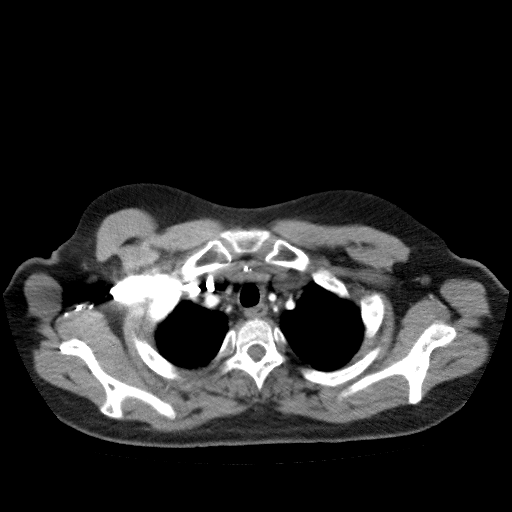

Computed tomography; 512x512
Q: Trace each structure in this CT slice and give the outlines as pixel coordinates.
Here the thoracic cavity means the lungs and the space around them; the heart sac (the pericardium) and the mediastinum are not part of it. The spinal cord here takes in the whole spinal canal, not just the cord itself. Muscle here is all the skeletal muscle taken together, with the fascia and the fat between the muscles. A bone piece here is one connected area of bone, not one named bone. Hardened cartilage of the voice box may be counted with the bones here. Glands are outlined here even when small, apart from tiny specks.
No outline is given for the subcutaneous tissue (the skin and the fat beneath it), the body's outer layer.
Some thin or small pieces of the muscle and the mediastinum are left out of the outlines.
A: Outlines (x, y in pixels):
bones 1: [[252,227],[267,229],[270,231],[272,238],[283,239],[302,250],[310,262],[306,270],[299,271],[266,263],[264,257],[268,248],[264,245],[254,253],[234,253],[231,265],[217,271],[187,277],[184,277],[179,271],[189,256],[203,247],[219,232],[226,229]]
bones 2: [[254,318],[263,319],[273,325],[277,325],[288,344],[283,351],[286,356],[286,360],[280,365],[274,367],[269,372],[260,390],[257,388],[253,378],[245,371],[236,368],[222,374],[219,368],[219,364],[211,362],[218,352],[229,329],[240,326],[246,320]]; inner edge: [[256,344],[257,344],[258,345],[260,345],[262,347],[263,347],[263,348],[265,351],[265,352],[264,353],[264,354],[261,357],[261,358],[258,360],[254,360],[249,355],[249,354],[248,353],[248,349],[251,346],[252,346],[253,345],[255,345]]
bones 3: [[436,320],[440,320],[452,326],[456,331],[456,335],[445,346],[438,346],[431,351],[429,365],[421,385],[422,398],[420,401],[415,404],[408,403],[408,383],[402,375],[398,374],[383,378],[351,395],[338,399],[338,394],[353,382],[403,358],[422,332]]
bones 4: [[73,337],[84,341],[91,348],[100,366],[109,375],[122,382],[151,392],[169,403],[176,413],[175,417],[170,419],[141,400],[130,397],[122,402],[122,418],[116,419],[102,413],[99,407],[106,398],[106,393],[102,384],[80,357],[60,352],[59,344]]
bones 5: [[376,346],[380,346],[381,348],[377,357],[368,367],[358,376],[344,383],[335,386],[322,385],[305,379],[302,376],[300,372],[300,368],[301,367],[308,367],[325,372],[329,372],[330,371],[340,369],[345,366],[348,366],[354,363],[360,359],[371,349]]
bones 6: [[132,332],[134,332],[134,333],[140,338],[144,339],[151,346],[155,348],[164,358],[178,367],[179,368],[179,373],[181,377],[179,379],[170,380],[169,379],[164,378],[153,371],[142,360],[138,354],[137,350],[135,348],[134,344],[131,339]]
bones 7: [[373,292],[378,292],[380,293],[383,299],[384,302],[383,318],[381,324],[374,336],[370,338],[367,342],[361,347],[361,344],[364,336],[364,325],[361,318],[361,313],[360,312],[360,307],[359,306],[360,305],[360,300],[364,295],[367,295]]
bones 8: [[172,292],[179,292],[181,294],[180,299],[173,308],[173,309],[166,316],[166,317],[156,326],[154,330],[152,330],[150,327],[150,322],[148,320],[148,311],[154,302],[157,300],[158,298],[161,298],[164,296],[167,296],[168,294],[170,294]]
bones 9: [[319,268],[324,268],[325,269],[327,269],[333,275],[341,280],[344,283],[346,288],[348,290],[348,292],[350,295],[350,298],[342,298],[341,297],[339,297],[336,294],[325,289],[320,285],[317,284],[312,279],[312,277],[311,276],[311,272]]
muscle 1: [[128,207],[142,208],[166,224],[201,217],[248,224],[296,218],[358,223],[392,234],[410,248],[408,259],[396,263],[391,274],[395,311],[402,316],[412,303],[437,295],[446,279],[478,281],[491,313],[487,355],[475,370],[435,385],[423,398],[432,351],[457,335],[452,325],[436,319],[403,357],[337,394],[341,400],[402,376],[408,404],[367,418],[333,423],[256,403],[180,431],[120,420],[129,398],[170,420],[177,414],[173,406],[109,374],[92,348],[74,336],[57,346],[61,354],[80,358],[101,384],[105,398],[98,409],[40,377],[33,366],[35,326],[24,282],[33,273],[48,274],[61,286],[66,306],[96,306],[106,300],[111,284],[95,259],[95,233],[107,215]]; inner edge: [[252,227],[269,230],[272,238],[307,255],[309,266],[299,272],[306,282],[324,268],[344,283],[357,306],[364,295],[381,294],[378,330],[345,365],[380,346],[358,376],[335,386],[307,380],[300,368],[310,364],[288,345],[286,360],[260,390],[245,371],[222,374],[218,363],[180,367],[181,377],[170,380],[142,360],[132,332],[155,348],[151,306],[172,292],[185,297],[202,277],[184,277],[179,271],[185,260],[223,230]]
muscle 2: [[264,246],[267,248],[267,251],[263,257],[263,260],[264,262],[261,262],[256,258],[248,255],[242,256],[240,257],[237,260],[237,261],[232,262],[233,261],[234,254],[236,254],[237,255],[242,255],[243,254],[254,254],[255,253],[257,253]]
thyroid glands 1: [[255,271],[260,271],[261,272],[266,272],[267,273],[270,274],[270,277],[268,279],[268,281],[266,283],[266,285],[265,286],[265,288],[264,289],[264,290],[263,290],[263,286],[261,284],[261,283],[258,280],[257,277],[255,275]]
thyroid glands 2: [[243,272],[246,272],[244,274],[244,276],[243,277],[243,279],[242,280],[242,282],[241,283],[240,283],[239,284],[239,285],[238,286],[237,286],[235,284],[235,280],[236,279],[236,276],[238,274],[239,274],[240,273],[242,273]]
spinal cord: [[256,344],[257,344],[258,345],[260,345],[262,347],[263,347],[263,348],[265,351],[265,352],[264,353],[264,354],[261,357],[261,358],[258,360],[254,360],[249,355],[249,354],[248,353],[248,349],[251,346],[252,346],[253,345],[255,345]]
thoracic cavity 1: [[311,280],[317,285],[336,295],[339,298],[349,299],[358,306],[360,318],[363,325],[363,336],[357,351],[344,366],[329,371],[313,368],[311,367],[309,363],[302,361],[291,349],[285,335],[278,325],[282,313],[285,310],[291,309],[293,307],[304,285]]
thoracic cavity 2: [[182,297],[183,298],[186,297],[192,300],[199,306],[205,309],[213,309],[222,311],[227,316],[228,323],[231,327],[225,333],[221,344],[211,361],[207,365],[199,366],[191,369],[179,367],[164,357],[156,348],[156,342],[154,337],[157,326],[174,309]]
mediastinum: [[246,256],[268,265],[293,269],[298,271],[305,279],[306,282],[292,307],[285,309],[281,313],[278,324],[273,324],[263,318],[254,317],[246,319],[240,325],[232,327],[225,312],[218,309],[205,308],[186,296],[200,280],[202,275],[228,268],[232,263]], around a hole outlined by [[255,271],[260,271],[261,272],[266,272],[267,273],[270,274],[270,277],[268,279],[268,281],[266,283],[266,285],[265,286],[265,288],[264,289],[264,290],[263,290],[263,286],[261,284],[261,283],[258,280],[257,277],[255,275]]
torso: [[133,182],[168,184],[242,207],[333,188],[364,190],[398,204],[441,236],[454,253],[484,264],[508,289],[495,345],[466,401],[426,430],[343,442],[152,447],[100,439],[65,424],[40,393],[21,357],[3,292],[24,260],[48,257],[71,236],[94,198]]